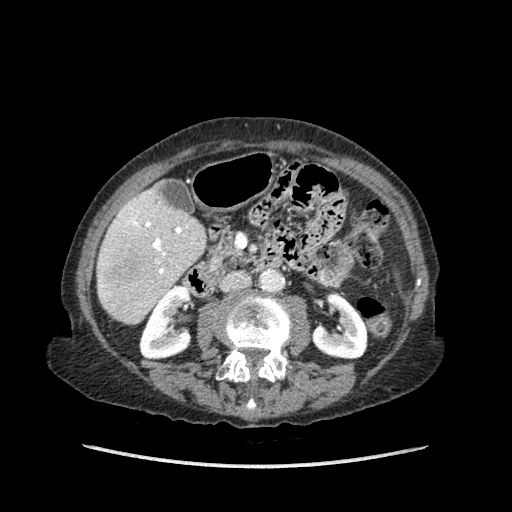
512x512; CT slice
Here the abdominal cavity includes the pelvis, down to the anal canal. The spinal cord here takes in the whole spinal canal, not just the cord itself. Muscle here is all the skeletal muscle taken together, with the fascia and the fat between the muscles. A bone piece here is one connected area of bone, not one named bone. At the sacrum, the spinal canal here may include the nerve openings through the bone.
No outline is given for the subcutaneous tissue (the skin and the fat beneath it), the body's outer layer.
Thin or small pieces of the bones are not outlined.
{"bones":[{"outer":[[244,289],[270,293],[280,298],[291,312],[292,337],[279,352],[289,360],[292,367],[286,368],[283,380],[271,382],[266,378],[257,377],[252,382],[235,382],[226,378],[219,380],[215,378],[218,368],[230,350],[214,331],[216,312],[226,296],[235,295]],"hole":[[244,347],[245,348],[247,347],[253,347],[254,348],[262,348],[263,349],[266,349],[268,350],[268,353],[266,355],[265,355],[262,358],[262,359],[256,364],[252,364],[249,361],[247,360],[246,358],[246,356],[240,350],[241,348],[243,348]]}],"abdominal_cavity":[[[254,147],[334,166],[389,205],[413,276],[396,338],[387,351],[362,360],[329,365],[302,361],[311,341],[306,299],[244,288],[199,308],[198,359],[174,362],[142,357],[137,362],[110,343],[94,315],[92,273],[106,228],[130,198],[174,167],[203,155]]],"muscle":[{"outer":[[218,139],[219,140],[220,139],[235,139],[236,140],[237,139],[247,142],[250,141],[253,142],[258,141],[259,142],[266,140],[278,140],[279,139],[285,139],[286,140],[287,139],[313,143],[330,150],[334,153],[350,156],[373,167],[401,190],[407,197],[412,207],[414,214],[417,219],[419,236],[421,239],[421,245],[429,276],[428,279],[429,292],[427,299],[425,301],[424,310],[421,316],[417,320],[417,322],[413,324],[412,326],[413,327],[409,333],[409,335],[395,355],[371,377],[368,382],[362,388],[360,388],[357,392],[349,394],[332,405],[311,412],[295,413],[278,417],[261,418],[257,420],[247,420],[238,416],[224,415],[215,412],[208,412],[201,409],[189,407],[174,400],[165,394],[161,393],[158,390],[155,389],[154,390],[141,379],[138,378],[135,374],[131,373],[126,369],[102,347],[93,333],[90,324],[84,318],[81,312],[78,303],[78,298],[76,294],[75,275],[84,238],[86,235],[88,227],[98,210],[114,191],[128,177],[139,169],[150,163],[156,162],[169,157],[191,145]],"holes":[[[254,147],[334,166],[389,205],[413,276],[396,338],[362,360],[302,361],[308,305],[286,294],[285,378],[217,380],[230,347],[214,331],[216,299],[198,310],[198,359],[137,362],[110,343],[94,315],[92,273],[106,228],[174,167]],[[250,397],[252,397],[253,398],[253,399],[254,400],[254,401],[255,402],[255,403],[256,404],[256,408],[255,409],[253,409],[252,410],[250,410],[249,409],[247,409],[245,407],[245,405],[246,404],[246,403],[247,402],[247,401],[249,399],[249,398]],[[417,278],[420,278],[421,279],[421,282],[420,283],[420,285],[417,288],[415,288],[415,283],[416,282],[416,279]]]}],"spinal_cord":[[[244,347],[245,348],[247,347],[253,347],[254,348],[262,348],[263,349],[266,349],[268,350],[268,353],[266,355],[265,355],[262,358],[262,359],[256,364],[252,364],[249,361],[247,360],[246,358],[246,356],[240,350],[241,348],[243,348]]],"torso":[[[225,116],[293,118],[333,130],[377,156],[415,194],[439,262],[435,326],[446,340],[441,364],[423,385],[388,402],[305,426],[238,428],[225,422],[171,420],[93,400],[48,368],[47,340],[70,333],[60,297],[62,268],[97,191],[127,161],[159,140]]]}